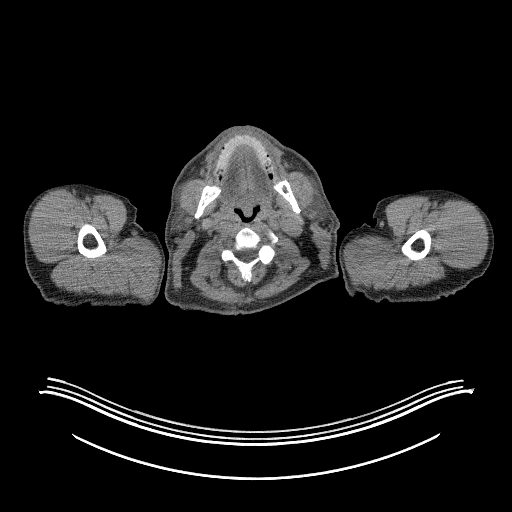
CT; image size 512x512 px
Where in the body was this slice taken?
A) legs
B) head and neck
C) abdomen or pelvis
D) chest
B) head and neck
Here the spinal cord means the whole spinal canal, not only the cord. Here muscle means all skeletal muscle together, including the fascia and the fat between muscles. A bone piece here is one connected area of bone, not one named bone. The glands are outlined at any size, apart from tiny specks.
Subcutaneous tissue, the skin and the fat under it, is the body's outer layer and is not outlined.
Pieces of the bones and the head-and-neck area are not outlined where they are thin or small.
The parotid glands appear in 2 outlined pieces: piece 1: (312, 176) (317, 185) (317, 190) (319, 194) (319, 197) (323, 202) (327, 210) (327, 213) (329, 215) (329, 216) (327, 216) (318, 221) (318, 220) (315, 218) (309, 218) (305, 215) (305, 211) (307, 207) (312, 203) (314, 199) (314, 189) (313, 186) (310, 183) (310, 179); piece 2: (180, 206) (190, 216) (194, 218) (194, 222) (188, 229) (186, 229) (185, 230) (180, 231) (179, 233) (174, 233) (172, 232) (171, 230) (171, 227) (172, 226) (172, 221) (174, 218) (174, 216) (176, 213) (176, 211) (180, 207). The left arm is outlined by (431, 188) (447, 189) (462, 194) (475, 202) (488, 216) (494, 233) (494, 248) (484, 274) (453, 295) (437, 301) (397, 303) (383, 300) (377, 303) (360, 294) (349, 297) (340, 270) (339, 245) (344, 235) (363, 223) (374, 226) (376, 219) (372, 214) (377, 202) (382, 198). The right arm is outlined by (73, 182) (87, 183) (127, 197) (137, 208) (136, 221) (145, 230) (156, 233) (166, 257) (166, 264) (159, 294) (151, 305) (128, 304) (122, 307) (91, 307) (84, 303) (74, 307) (66, 307) (47, 302) (41, 297) (25, 267) (22, 233) (24, 213) (33, 198) (46, 188). The head and neck is outlined by (246, 124) (265, 130) (304, 156) (315, 168) (340, 224) (337, 230) (339, 273) (334, 279) (318, 283) (279, 305) (255, 313) (220, 315) (201, 311) (184, 311) (170, 304) (164, 295) (164, 276) (168, 255) (164, 230) (170, 208) (172, 186) (183, 166) (216, 135) (230, 126) with a hole at (255, 208) (257, 208) (257, 211) (255, 215) (253, 217) (253, 218) (252, 218) (251, 220) (249, 221) (244, 221) (242, 220) (242, 219) (240, 217) (240, 216) (237, 212) (237, 210) (240, 210) (246, 217) (249, 217) (252, 214) (253, 212) (253, 210). The bones appear in 6 outlined pieces: piece 1: (243, 227) (251, 228) (266, 242) (268, 241) (267, 232) (269, 229) (278, 238) (277, 242) (273, 245) (275, 251) (273, 258) (267, 264) (257, 263) (252, 268) (250, 281) (245, 281) (241, 277) (240, 272) (232, 261) (223, 261) (221, 258) (222, 250) (233, 241) (236, 233); inner edge: (242, 249) (257, 249) (257, 256) (256, 257) (255, 257) (253, 259) (252, 259) (250, 261) (248, 261) (247, 262) (246, 262) (245, 261) (243, 261) (242, 260) (239, 259) (236, 256) (236, 255) (235, 254) (235, 252) (236, 251) (238, 251) (239, 250) (241, 250); piece 2: (84, 223) (89, 223) (91, 224) (97, 230) (105, 244) (105, 246) (106, 247) (106, 252) (99, 257) (96, 257) (95, 258) (88, 258) (81, 254) (78, 250) (78, 248) (77, 247) (77, 235) (78, 234) (78, 231) (80, 227); piece 3: (419, 229) (425, 229) (427, 230) (430, 234) (431, 236) (431, 245) (430, 246) (430, 249) (428, 253) (423, 258) (421, 259) (419, 259) (418, 260) (411, 260) (402, 253) (401, 251) (401, 247) (404, 243) (404, 242) (411, 235) (412, 235) (417, 230); piece 4: (236, 135) (248, 135) (251, 137) (254, 137) (258, 140) (264, 147) (266, 155) (270, 160) (270, 162) (263, 157) (260, 158) (252, 146) (245, 143) (240, 143) (234, 146) (230, 155) (226, 160) (225, 166) (221, 169) (216, 170) (217, 161) (221, 151) (224, 148) (225, 143); piece 5: (206, 185) (218, 185) (220, 187) (221, 189) (221, 191) (218, 195) (218, 196) (212, 201) (211, 201) (205, 207) (203, 211) (203, 213) (202, 215) (199, 218) (197, 219) (194, 217) (194, 213) (196, 210) (196, 208) (197, 207) (197, 204) (200, 198) (202, 189) (203, 187); piece 6: (273, 175) (275, 176) (276, 178) (275, 179) (277, 181) (286, 179) (289, 182) (292, 192) (296, 198) (298, 202) (298, 205) (300, 208) (300, 212) (298, 214) (295, 213) (292, 210) (292, 208) (290, 204) (273, 188) (273, 184) (274, 183) (274, 181) (273, 180). The muscle appears in 3 outlined pieces: piece 1: (239, 129) (250, 129) (260, 133) (283, 151) (287, 158) (299, 163) (311, 176) (309, 183) (313, 189) (313, 199) (306, 207) (304, 215) (318, 222) (327, 217) (331, 221) (329, 260) (325, 269) (304, 277) (275, 296) (241, 305) (218, 303) (201, 297) (195, 291) (190, 292) (180, 286) (174, 286) (171, 263) (177, 248) (177, 234) (188, 230) (222, 191) (218, 184) (204, 185) (193, 217) (180, 205) (177, 208) (179, 186) (223, 136) with holes at (243, 227) (251, 228) (266, 242) (268, 241) (267, 232) (269, 229) (278, 238) (277, 242) (273, 245) (275, 251) (273, 258) (267, 264) (257, 263) (252, 268) (250, 281) (245, 281) (241, 277) (240, 272) (232, 261) (223, 261) (221, 258) (222, 250) (233, 241) (236, 233) and at (236, 135) (248, 135) (251, 137) (254, 137) (258, 140) (264, 147) (266, 155) (270, 160) (270, 162) (263, 157) (260, 158) (252, 146) (245, 143) (240, 143) (234, 146) (230, 155) (226, 160) (225, 166) (221, 169) (216, 170) (217, 161) (221, 151) (224, 148) (225, 143) and at (273, 175) (275, 176) (276, 178) (275, 179) (277, 181) (286, 179) (289, 182) (292, 192) (296, 198) (298, 202) (298, 205) (300, 208) (300, 212) (298, 214) (295, 213) (292, 210) (292, 208) (290, 204) (273, 188) (273, 184) (274, 183) (274, 181) (273, 180) and at (255, 208) (257, 208) (257, 211) (255, 215) (253, 217) (253, 218) (252, 218) (251, 220) (249, 221) (244, 221) (242, 220) (242, 219) (240, 217) (240, 216) (237, 212) (237, 210) (240, 210) (246, 217) (249, 217) (252, 214) (253, 212) (253, 210); piece 2: (58, 189) (70, 190) (76, 197) (86, 193) (108, 194) (124, 203) (127, 210) (126, 224) (131, 233) (150, 239) (159, 250) (161, 265) (158, 280) (149, 299) (131, 295) (78, 295) (54, 286) (49, 277) (48, 266) (34, 255) (29, 241) (28, 224) (36, 203) (44, 195) with a hole at (84, 223) (89, 223) (91, 224) (97, 230) (105, 244) (105, 246) (106, 247) (106, 252) (99, 257) (96, 257) (95, 258) (88, 258) (81, 254) (78, 250) (78, 248) (77, 247) (77, 235) (78, 234) (78, 231) (80, 227); piece 3: (413, 195) (428, 195) (440, 201) (456, 198) (471, 204) (481, 214) (487, 227) (488, 246) (484, 258) (477, 266) (469, 269) (446, 267) (443, 279) (424, 286) (402, 290) (375, 290) (354, 285) (344, 262) (346, 243) (357, 235) (375, 234) (384, 230) (385, 207) (398, 198) with a hole at (419, 229) (425, 229) (427, 230) (430, 234) (431, 236) (431, 245) (430, 246) (430, 249) (428, 253) (423, 258) (421, 259) (419, 259) (418, 260) (411, 260) (402, 253) (401, 251) (401, 247) (404, 243) (404, 242) (411, 235) (412, 235) (417, 230). The spinal cord is outlined by (242, 249) (257, 249) (257, 256) (256, 257) (255, 257) (253, 259) (252, 259) (250, 261) (248, 261) (247, 262) (246, 262) (245, 261) (243, 261) (242, 260) (239, 259) (236, 256) (236, 255) (235, 254) (235, 252) (236, 251) (238, 251) (239, 250) (241, 250).